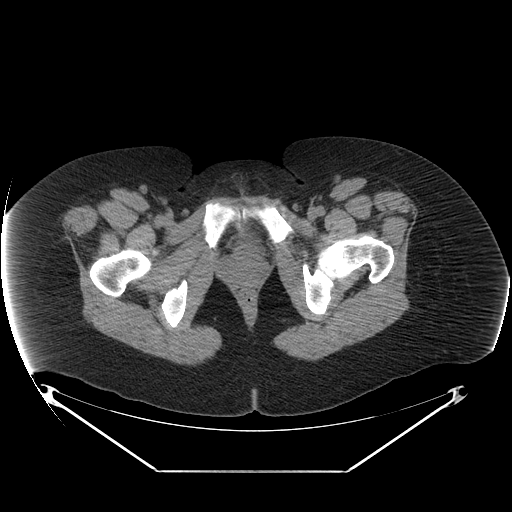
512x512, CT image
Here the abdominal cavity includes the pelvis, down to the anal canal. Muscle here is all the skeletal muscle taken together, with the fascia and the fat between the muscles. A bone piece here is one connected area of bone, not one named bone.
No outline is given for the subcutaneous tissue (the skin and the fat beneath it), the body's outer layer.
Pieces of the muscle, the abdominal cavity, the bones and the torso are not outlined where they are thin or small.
Outlines (x, y in pixels):
bones 1: (363, 234) (377, 238) (393, 248) (394, 261) (390, 271) (379, 282) (371, 283) (368, 279) (369, 266) (365, 264) (348, 276) (339, 280) (335, 279) (325, 313) (314, 314) (305, 301) (302, 264) (306, 262) (312, 272) (316, 267) (317, 254) (322, 248) (335, 240) (358, 238)
bones 2: (208, 201) (240, 207) (252, 205) (260, 206) (266, 202) (274, 203) (278, 211) (292, 227) (293, 232) (283, 241) (273, 244) (268, 237) (267, 231) (257, 220) (253, 218) (232, 220) (229, 222) (220, 237) (216, 248) (210, 248) (204, 239) (204, 230) (202, 226) (205, 205)
bones 3: (127, 248) (141, 251) (149, 258) (151, 261) (151, 267) (149, 271) (141, 278) (129, 282) (127, 284) (125, 290) (120, 296) (118, 297) (113, 297) (110, 295) (105, 294) (98, 289) (92, 282) (89, 276) (89, 269) (92, 263) (98, 258) (104, 256) (108, 256)
bones 4: (182, 279) (185, 279) (187, 282) (186, 308) (185, 309) (184, 314) (178, 324) (175, 327) (170, 327) (170, 326) (166, 321) (164, 314) (161, 309) (161, 304) (162, 303) (162, 301) (163, 300) (163, 298) (166, 291) (172, 287) (175, 287) (177, 286) (180, 283)
torso: (324, 135) (408, 148) (444, 169) (474, 200) (508, 269) (489, 354) (430, 366) (331, 409) (275, 417) (255, 410) (233, 417) (175, 412) (27, 369) (7, 317) (0, 234) (8, 210) (36, 181) (73, 158) (140, 145) (180, 148) (195, 172) (234, 159) (279, 164) (290, 142)
abdominal cavity: (248, 219) (253, 219) (257, 221) (264, 228) (267, 237) (273, 245) (272, 247) (273, 259) (258, 285) (257, 299) (255, 300) (255, 308) (252, 314) (246, 313) (238, 296) (232, 291) (228, 283) (216, 271) (217, 259) (216, 249) (221, 237) (230, 222) (242, 220) (245, 221)
muscle: (347, 173) (384, 177) (408, 195) (418, 210) (407, 251) (410, 309) (375, 335) (315, 362) (287, 355) (271, 341) (302, 318) (276, 269) (259, 292) (258, 314) (251, 330) (233, 293) (219, 279) (213, 279) (194, 321) (217, 330) (223, 345) (212, 359) (195, 367) (144, 353) (83, 320) (78, 269) (60, 222) (61, 215) (84, 194) (107, 185) (136, 190) (148, 200) (157, 220) (168, 226) (188, 217) (207, 197) (264, 194) (314, 221) (325, 210) (325, 192), around holes outlined by (208, 201) (240, 207) (260, 206) (266, 202) (274, 203) (293, 229) (293, 232) (283, 241) (274, 244) (272, 247) (273, 259) (258, 285) (257, 299) (252, 314) (246, 313) (238, 296) (216, 271) (217, 252) (215, 249) (210, 248) (205, 241) (202, 226) (205, 205) and by (363, 234) (377, 238) (393, 248) (394, 261) (390, 271) (379, 282) (371, 283) (368, 279) (369, 266) (365, 264) (348, 276) (339, 280) (335, 279) (325, 313) (314, 314) (305, 301) (302, 264) (306, 262) (312, 272) (316, 267) (317, 254) (322, 248) (335, 240) (358, 238) and by (127, 248) (141, 251) (149, 258) (151, 261) (151, 267) (149, 271) (141, 278) (129, 282) (127, 284) (125, 290) (120, 296) (118, 297) (113, 297) (110, 295) (105, 294) (98, 289) (92, 282) (89, 276) (89, 269) (92, 263) (98, 258) (104, 256) (108, 256) and by (182, 279) (185, 279) (187, 282) (186, 308) (185, 309) (184, 314) (178, 324) (175, 327) (170, 327) (170, 326) (166, 321) (164, 314) (161, 309) (161, 304) (162, 303) (162, 301) (163, 300) (163, 298) (166, 291) (172, 287) (175, 287) (177, 286) (180, 283)